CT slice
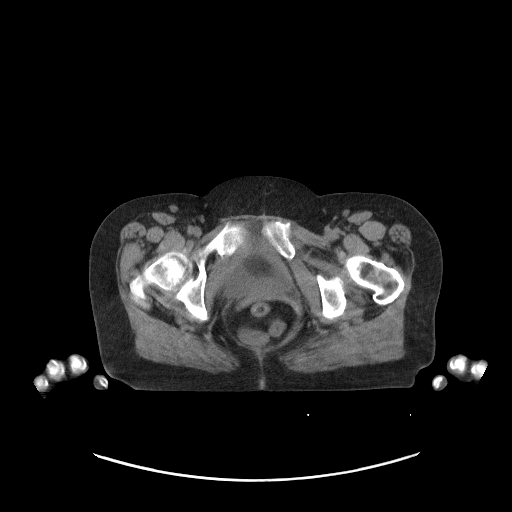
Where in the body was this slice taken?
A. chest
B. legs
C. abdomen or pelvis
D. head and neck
Answer: C. abdomen or pelvis
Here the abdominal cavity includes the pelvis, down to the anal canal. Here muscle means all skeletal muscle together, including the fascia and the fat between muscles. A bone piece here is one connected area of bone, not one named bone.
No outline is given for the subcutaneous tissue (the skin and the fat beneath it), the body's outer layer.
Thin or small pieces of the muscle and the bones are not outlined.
Outlines:
abdominal cavity: [[260,232],[277,252],[287,260],[302,295],[302,302],[298,307],[298,317],[292,331],[280,341],[265,347],[250,346],[241,342],[226,327],[226,312],[223,310],[219,315],[218,309],[216,307],[214,308],[215,298],[224,282],[230,256],[245,245],[248,233]]
right arm 1: [[72,353],[80,354],[86,358],[89,363],[89,367],[87,371],[82,375],[72,380],[59,382],[56,386],[47,394],[46,397],[43,397],[39,390],[40,389],[38,388],[35,384],[36,376],[47,366],[47,364],[51,360],[55,360],[56,358],[65,357]]
right arm 2: [[96,374],[101,374],[103,377],[104,377],[108,380],[108,384],[107,384],[106,385],[106,387],[107,388],[106,389],[105,389],[104,390],[100,390],[99,389],[97,389],[96,388],[95,388],[95,387],[92,383],[92,379],[93,378],[93,377]]
muscle 1: [[363,210],[376,210],[391,215],[405,223],[411,233],[414,269],[404,308],[403,334],[406,351],[401,358],[303,373],[287,369],[276,352],[268,353],[261,364],[251,350],[232,344],[231,349],[239,359],[239,366],[229,372],[213,373],[154,362],[135,352],[134,335],[117,287],[115,260],[120,230],[141,213],[161,211],[173,214],[181,232],[186,237],[197,239],[212,230],[222,218],[241,214],[280,216],[329,237],[348,215]], around holes outlined by [[228,220],[244,222],[249,233],[290,222],[295,255],[287,262],[302,302],[292,331],[265,347],[241,342],[226,312],[214,308],[228,255],[214,251],[205,262],[207,321],[155,284],[144,288],[142,304],[132,299],[129,283],[144,266],[172,250],[191,260]] and by [[353,255],[363,255],[373,260],[380,261],[389,267],[395,268],[403,278],[404,281],[403,290],[390,303],[385,305],[379,305],[374,302],[372,298],[372,293],[373,292],[368,288],[365,288],[356,284],[350,279],[348,273],[344,267],[344,262],[346,258]] and by [[317,274],[321,274],[327,279],[331,278],[336,275],[338,275],[344,281],[344,291],[345,292],[345,296],[346,297],[346,306],[344,309],[343,313],[341,315],[335,318],[329,319],[324,317],[322,315],[321,294],[320,293],[319,286],[316,279],[316,275]] and by [[294,342],[295,343],[294,344],[294,345],[292,347],[290,347],[289,348],[288,348],[285,351],[284,351],[283,352],[280,352],[279,351],[279,350],[280,350],[281,349],[282,349],[283,348],[284,348],[285,347],[286,347],[287,346],[292,344]]
muscle 2: [[467,362],[467,363],[469,365],[472,364],[470,366],[470,372],[469,371],[467,371],[466,372],[461,374],[460,373],[457,373],[454,371],[454,370],[456,370],[458,372],[459,372],[460,373],[462,373],[465,370],[465,368],[466,367],[466,364],[467,363]]
torso: [[245,175],[287,177],[318,194],[391,194],[412,204],[429,221],[439,238],[443,259],[435,310],[436,347],[432,362],[419,371],[411,387],[148,391],[134,389],[105,371],[88,288],[90,244],[102,220],[115,207],[136,197],[166,192],[202,195],[222,181]]
bones 1: [[228,220],[244,222],[248,232],[244,245],[231,255],[222,257],[214,251],[206,259],[204,303],[207,321],[192,317],[174,297],[173,291],[155,284],[144,288],[146,299],[142,304],[132,299],[129,283],[144,266],[172,250],[191,260],[193,253],[211,240]]
bones 2: [[353,255],[363,255],[373,260],[380,261],[389,267],[395,268],[403,278],[404,281],[403,290],[390,303],[385,305],[379,305],[374,302],[372,298],[372,293],[373,292],[368,288],[365,288],[356,284],[350,279],[348,273],[344,267],[344,262],[346,258]]
bones 3: [[317,274],[321,274],[327,279],[331,278],[336,275],[338,275],[344,281],[344,291],[345,292],[345,296],[346,297],[346,306],[344,309],[343,313],[341,315],[335,318],[329,319],[324,317],[322,315],[321,294],[320,293],[319,286],[316,279],[316,275]]
bones 4: [[276,220],[278,220],[281,222],[286,222],[287,221],[289,221],[290,222],[290,240],[294,245],[294,247],[295,248],[295,255],[289,260],[286,259],[281,254],[280,254],[268,241],[268,240],[261,232],[261,228],[265,222],[268,222],[269,221],[275,221]]
bones 5: [[51,360],[55,360],[56,361],[57,361],[58,362],[61,363],[64,366],[64,374],[63,375],[62,375],[61,376],[60,376],[59,375],[56,375],[54,377],[53,377],[52,376],[51,376],[49,374],[49,373],[48,372],[48,370],[47,369],[47,364]]
bones 6: [[72,355],[76,355],[81,360],[83,360],[86,363],[86,367],[85,368],[85,369],[84,369],[81,371],[79,371],[76,373],[74,373],[71,370],[71,368],[70,367],[70,362],[69,361],[69,357]]
bones 7: [[458,357],[464,357],[466,359],[466,363],[465,364],[465,367],[464,368],[464,370],[462,372],[460,372],[459,371],[458,371],[456,369],[452,369],[450,367],[450,362],[452,360],[453,360],[454,359],[455,359],[456,358],[457,358]]
bones 8: [[481,361],[482,361],[483,362],[484,362],[485,363],[485,367],[484,368],[484,370],[483,371],[483,372],[482,373],[482,374],[479,377],[476,377],[471,372],[471,366],[473,364],[474,364],[475,363],[477,363],[478,362],[480,362]]
bones 9: [[39,377],[42,377],[43,378],[44,378],[45,379],[46,379],[47,380],[47,382],[48,383],[48,384],[46,386],[41,386],[39,388],[38,388],[36,386],[36,385],[35,384],[35,381],[36,380],[36,379],[37,378],[38,378]]
left arm 1: [[459,353],[463,353],[470,358],[478,358],[479,359],[484,358],[486,359],[486,361],[484,362],[485,363],[484,370],[479,377],[479,379],[476,384],[473,384],[471,382],[463,382],[460,381],[447,371],[446,369],[446,363],[448,359],[451,356]]
left arm 2: [[438,374],[441,374],[446,377],[446,378],[447,379],[447,384],[446,385],[446,386],[442,390],[440,390],[439,391],[435,391],[434,390],[433,390],[433,388],[432,387],[432,386],[433,386],[434,385],[433,384],[433,381],[435,378],[435,376]]